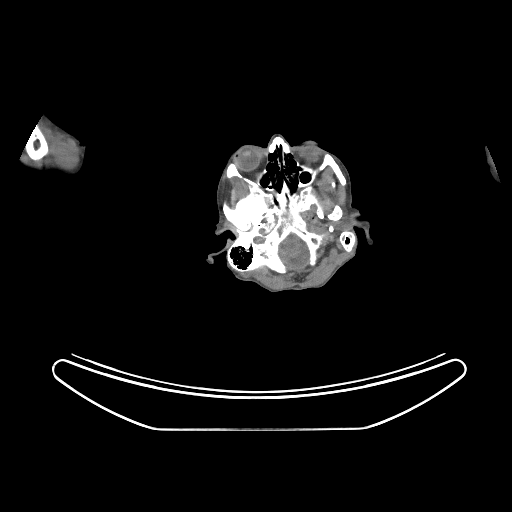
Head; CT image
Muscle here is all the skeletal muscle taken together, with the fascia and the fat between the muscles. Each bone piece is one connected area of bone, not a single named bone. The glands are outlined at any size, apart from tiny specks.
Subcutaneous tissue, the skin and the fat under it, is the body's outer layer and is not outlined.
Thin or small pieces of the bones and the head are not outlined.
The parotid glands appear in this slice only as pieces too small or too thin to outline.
Outlines:
muscle 1: (326, 167) (331, 169) (343, 187) (346, 186) (346, 214) (351, 230) (342, 230) (337, 240) (346, 252) (350, 252) (349, 255) (335, 266) (323, 282) (315, 285) (273, 288) (251, 275) (240, 273) (269, 270) (286, 274) (290, 270) (316, 265) (319, 250) (325, 242) (325, 234) (310, 229) (302, 213) (309, 211) (314, 205) (316, 217) (320, 220) (326, 217) (330, 221) (338, 221) (343, 215) (343, 210) (337, 203) (325, 214) (324, 205) (316, 193) (318, 176)
muscle 2: (39, 119) (47, 122) (52, 129) (57, 130) (72, 139) (78, 146) (80, 149) (79, 161) (74, 168) (66, 169) (58, 165) (46, 163) (40, 165) (30, 164) (25, 162) (24, 159) (20, 156) (22, 150) (24, 149) (32, 160) (39, 161) (49, 153) (48, 142) (39, 126)
muscle 3: (226, 176) (226, 177) (228, 179) (230, 179) (233, 177) (237, 177) (241, 179) (246, 183) (247, 185) (247, 188) (248, 189) (248, 192) (245, 195) (240, 197) (233, 205) (230, 205) (225, 200) (223, 204) (222, 204) (223, 203) (223, 185) (224, 184) (224, 181) (225, 180)
muscle 4: (224, 216) (224, 217) (225, 218) (225, 219) (228, 222) (229, 222) (234, 227) (234, 228) (233, 229) (233, 230) (231, 228) (230, 228) (229, 227) (228, 227) (227, 226) (225, 226) (223, 224) (223, 221) (224, 220)
bones 1: (275, 136) (287, 141) (292, 157) (285, 156) (279, 171) (282, 146) (270, 153) (274, 162) (261, 185) (270, 177) (279, 193) (283, 178) (292, 193) (302, 170) (294, 159) (314, 168) (329, 153) (346, 185) (326, 166) (315, 193) (325, 215) (334, 204) (342, 215) (320, 219) (314, 204) (301, 213) (310, 230) (324, 234) (315, 265) (239, 272) (227, 262) (235, 227) (222, 205) (233, 206) (249, 189) (241, 178) (228, 178) (226, 168) (235, 163) (254, 180); inner edges: (292, 234) (293, 235) (295, 235) (298, 238) (299, 238) (305, 244) (308, 251) (308, 259) (306, 263) (304, 265) (300, 267) (288, 267) (288, 266) (284, 263) (284, 262) (281, 259) (279, 255) (279, 248) (280, 247) (280, 245) (282, 243) (282, 242) (283, 242) (290, 235), then (239, 246) (242, 247) (245, 252) (248, 252) (249, 251) (249, 248) (251, 246) (252, 248) (252, 256) (251, 257) (251, 261) (250, 263) (247, 265) (245, 269) (238, 267) (238, 265) (237, 264) (234, 264) (234, 261) (231, 258) (231, 256) (230, 255) (231, 253) (231, 249), then (303, 173) (307, 173) (308, 174) (309, 174) (309, 179) (307, 181) (302, 181) (301, 180) (301, 175)
bones 2: (37, 123) (38, 124) (38, 126) (41, 132) (43, 134) (47, 142) (47, 145) (48, 146) (48, 153) (41, 159) (39, 160) (34, 160) (32, 159) (28, 155) (24, 147) (26, 144) (26, 142) (34, 126)
bones 3: (345, 230) (347, 230) (348, 231) (353, 231) (355, 233) (355, 235) (356, 236) (356, 241) (355, 242) (355, 244) (352, 250) (349, 252) (346, 251) (343, 248) (343, 247) (341, 245) (341, 244) (338, 240) (338, 238) (339, 237) (339, 235) (340, 233) (342, 231) (344, 231)
bones 4: (284, 172) (285, 172) (285, 173) (288, 176) (288, 178) (289, 179) (289, 180) (290, 181) (290, 182) (292, 184) (290, 184) (289, 183) (289, 182) (288, 181) (288, 180) (286, 178) (286, 177) (285, 176) (285, 175) (283, 173) (282, 173) (283, 173)
brain: (292, 234) (293, 235) (295, 235) (298, 238) (299, 238) (305, 244) (308, 251) (308, 259) (306, 263) (304, 265) (300, 267) (288, 267) (288, 266) (284, 263) (284, 262) (281, 259) (279, 255) (279, 248) (280, 247) (280, 245) (282, 243) (282, 242) (283, 242) (290, 235)
head 1: (275, 132) (290, 145) (311, 139) (338, 156) (350, 176) (352, 205) (370, 223) (373, 244) (355, 228) (355, 256) (319, 288) (270, 292) (237, 279) (225, 251) (212, 264) (206, 261) (227, 238) (235, 237) (228, 230) (214, 232) (216, 189) (228, 157) (243, 144) (265, 147), around holes outlined by (281, 146) (280, 161) (279, 157) (276, 159) (278, 171) (287, 168) (285, 158) (289, 153) (295, 166) (301, 168) (297, 173) (296, 189) (292, 192) (283, 177) (279, 192) (273, 187) (270, 176) (266, 185) (261, 182) (268, 172) (268, 164) (275, 162) (269, 159) (270, 154) and by (239, 246) (242, 247) (245, 252) (248, 252) (249, 251) (249, 248) (251, 246) (252, 248) (252, 256) (251, 257) (251, 261) (250, 263) (247, 265) (245, 269) (238, 267) (238, 265) (237, 264) (234, 264) (234, 261) (231, 258) (231, 256) (230, 255) (231, 253) (231, 249) and by (303, 173) (307, 173) (308, 174) (309, 174) (309, 179) (307, 181) (302, 181) (301, 180) (301, 175)
head 2: (284, 172) (285, 172) (285, 173) (288, 176) (288, 178) (289, 179) (289, 180) (290, 181) (290, 182) (292, 184) (290, 184) (289, 183) (289, 182) (288, 181) (288, 180) (286, 178) (286, 177) (285, 176) (285, 175) (283, 173) (282, 173) (283, 173)
right arm: (43, 114) (46, 114) (51, 118) (54, 122) (68, 132) (74, 135) (82, 144) (86, 146) (84, 162) (80, 171) (77, 174) (70, 176) (69, 175) (64, 175) (54, 170) (33, 171) (27, 169) (19, 163) (19, 158) (22, 150) (24, 148) (34, 126) (38, 122) (39, 119)
left arm: (485, 146) (487, 147) (489, 151) (489, 153) (492, 158) (492, 160) (494, 163) (495, 168) (497, 171) (497, 174) (499, 178) (499, 182) (498, 183) (496, 182) (492, 178) (489, 172) (488, 166) (486, 163) (486, 160) (485, 159) (485, 154) (484, 153) (484, 147)